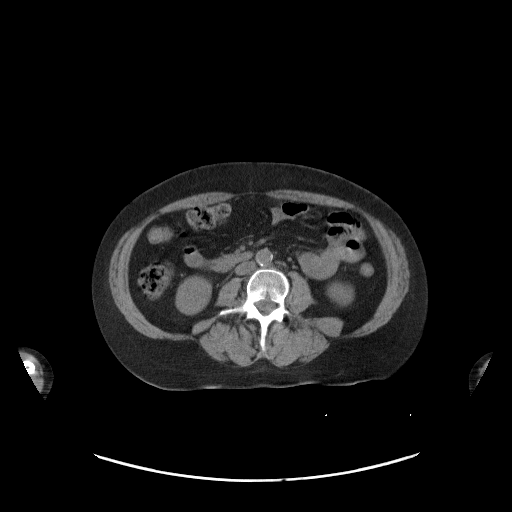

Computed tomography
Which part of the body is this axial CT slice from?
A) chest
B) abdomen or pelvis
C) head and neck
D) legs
Answer: B) abdomen or pelvis
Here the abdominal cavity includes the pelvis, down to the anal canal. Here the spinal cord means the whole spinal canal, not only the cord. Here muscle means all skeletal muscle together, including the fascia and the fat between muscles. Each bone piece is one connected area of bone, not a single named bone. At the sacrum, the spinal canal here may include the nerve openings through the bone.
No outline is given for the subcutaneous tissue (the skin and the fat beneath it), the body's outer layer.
The muscle appears in 4 outlined pieces: piece 1: [[276,189],[315,192],[353,203],[379,219],[400,239],[408,262],[410,273],[409,287],[400,305],[384,325],[364,336],[337,338],[321,354],[306,363],[295,361],[278,367],[267,359],[262,358],[249,366],[239,367],[230,361],[221,363],[213,359],[197,342],[192,340],[148,337],[137,331],[126,320],[114,302],[108,282],[108,271],[112,253],[119,239],[126,231],[159,208],[195,194],[213,191],[240,193],[251,190],[263,192]] with a hole at [[258,194],[351,209],[367,220],[386,267],[372,316],[344,331],[337,316],[306,315],[318,302],[304,276],[289,270],[284,305],[290,315],[268,326],[264,352],[259,323],[243,314],[218,310],[189,332],[150,322],[134,302],[128,276],[143,229],[169,212]]; piece 2: [[232,278],[239,278],[241,279],[240,281],[241,282],[241,285],[243,287],[245,286],[245,298],[243,302],[239,305],[233,306],[232,307],[227,307],[226,308],[220,308],[215,305],[215,302],[218,296],[218,293],[221,287],[226,282],[227,282]]; piece 3: [[18,350],[24,350],[29,352],[32,355],[33,355],[41,364],[44,372],[44,376],[45,377],[45,384],[42,392],[40,393],[31,377],[31,376],[32,376],[36,372],[36,366],[35,364],[30,359],[23,359],[21,357],[20,353]]; piece 4: [[488,358],[489,358],[489,360],[487,362],[487,363],[485,366],[485,368],[483,371],[483,373],[479,378],[479,381],[476,385],[475,384],[475,374],[476,373],[476,371],[479,367],[480,364],[483,361],[484,361]]. The bones appear in 2 outlined pieces: piece 1: [[260,268],[279,270],[289,281],[289,291],[284,299],[284,305],[290,315],[286,315],[281,322],[273,321],[268,326],[264,352],[259,343],[260,325],[255,319],[246,319],[243,314],[238,313],[224,315],[218,313],[222,309],[236,307],[244,302],[246,283]] with a hole at [[262,300],[268,300],[269,301],[270,301],[271,302],[272,302],[273,303],[275,303],[275,304],[276,305],[276,306],[269,313],[268,313],[267,314],[262,314],[259,311],[259,310],[257,308],[257,307],[255,305],[255,303],[256,303],[258,301],[261,301]]; piece 2: [[24,360],[30,360],[34,364],[34,365],[35,366],[35,372],[32,375],[30,375],[28,373],[28,371],[27,370],[27,368],[26,367],[26,365],[24,363]]. The spinal cord is outlined by [[262,300],[268,300],[269,301],[270,301],[271,302],[272,302],[273,303],[275,303],[275,304],[276,305],[276,306],[269,313],[268,313],[267,314],[262,314],[259,311],[259,310],[257,308],[257,307],[255,305],[255,303],[256,303],[258,301],[261,301]]. The torso is outlined by [[223,161],[278,161],[317,167],[367,188],[399,213],[415,238],[425,264],[429,310],[415,351],[396,373],[384,380],[343,386],[304,384],[279,388],[174,391],[140,380],[116,359],[96,322],[90,289],[95,253],[106,228],[116,214],[144,190],[184,170]]. The abdominal cavity is outlined by [[258,194],[351,209],[367,220],[386,267],[372,316],[344,331],[337,316],[306,315],[318,302],[304,276],[289,270],[289,280],[279,269],[260,267],[244,286],[239,277],[226,281],[214,302],[221,309],[189,332],[150,322],[128,276],[143,229],[169,212]]. The right arm is outlined by [[20,345],[28,346],[36,349],[46,357],[49,363],[51,365],[51,367],[53,371],[53,383],[52,384],[50,392],[45,399],[36,387],[34,382],[32,380],[31,376],[28,373],[26,365],[24,363],[24,360],[21,357],[20,353],[18,350],[18,346]]. The left arm is outlined by [[489,351],[491,351],[492,352],[490,355],[489,360],[487,362],[485,366],[483,373],[479,378],[479,381],[477,383],[475,387],[472,390],[472,391],[470,393],[469,393],[469,390],[468,389],[468,375],[469,374],[469,372],[475,361],[480,356]].